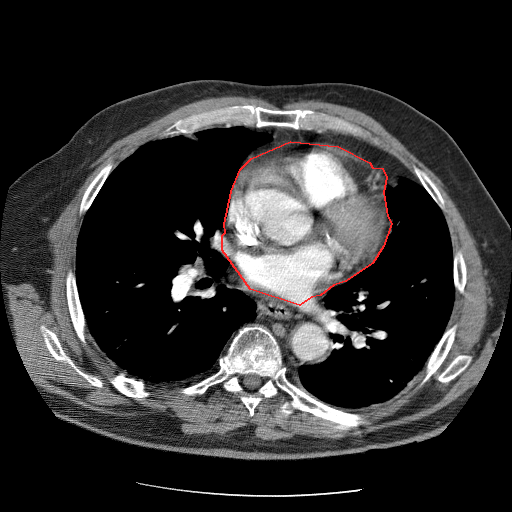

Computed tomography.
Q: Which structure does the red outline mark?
A: red: pericardium.
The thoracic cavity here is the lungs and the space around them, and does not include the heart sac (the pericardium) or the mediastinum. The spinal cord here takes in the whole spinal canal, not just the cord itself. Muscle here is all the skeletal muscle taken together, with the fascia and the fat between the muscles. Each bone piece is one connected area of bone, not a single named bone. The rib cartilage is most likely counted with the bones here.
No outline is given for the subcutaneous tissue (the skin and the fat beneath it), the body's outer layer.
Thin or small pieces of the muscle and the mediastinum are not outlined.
The pericardium is outlined by [[290,141],[338,146],[369,162],[372,167],[382,168],[386,177],[383,192],[387,216],[391,223],[383,246],[372,263],[345,281],[333,285],[320,295],[311,297],[299,305],[250,289],[222,250],[222,235],[225,232],[224,224],[231,191],[240,169],[251,158]]. The spinal cord is outlined by [[247,374],[256,374],[257,375],[258,375],[261,378],[261,384],[260,385],[260,386],[259,386],[257,388],[256,388],[255,389],[248,389],[247,388],[246,388],[243,385],[243,384],[242,383],[242,379],[243,378],[243,376],[244,375],[246,375]]. The mediastinum appears in 2 outlined pieces: piece 1: [[229,259],[250,290],[278,298],[294,306],[299,306],[328,290],[323,297],[322,315],[327,326],[329,352],[323,361],[313,365],[300,365],[296,375],[288,371],[283,364],[280,346],[266,327],[259,324],[244,325],[256,317],[256,303],[243,291],[224,281]]; piece 2: [[244,126],[330,130],[367,140],[397,158],[415,175],[419,183],[400,177],[396,185],[388,184],[385,189],[387,177],[382,167],[374,167],[369,161],[338,145],[308,143],[301,140],[279,143],[251,157],[240,168],[251,151],[272,140],[269,133],[258,132]]. The thoracic cavity appears in 2 outlined pieces: piece 1: [[238,125],[271,136],[242,160],[220,230],[221,250],[228,259],[222,279],[253,300],[255,317],[233,335],[217,360],[216,371],[186,386],[181,381],[146,384],[127,376],[87,328],[75,274],[84,215],[112,170],[143,144],[189,136],[206,128]]; piece 2: [[400,178],[420,183],[443,213],[452,248],[453,305],[445,330],[413,380],[379,405],[351,412],[324,402],[294,383],[287,370],[296,376],[300,366],[317,365],[328,357],[330,337],[323,315],[324,297],[377,259],[391,232],[385,190],[388,185],[396,186]]. The bones appear in 10 outlined pieces: piece 1: [[252,325],[266,328],[275,338],[290,381],[324,403],[363,414],[369,423],[340,430],[336,423],[307,411],[297,409],[285,416],[279,410],[280,395],[263,398],[250,416],[239,393],[218,386],[203,394],[181,394],[180,389],[216,372],[219,358],[237,331]] with a hole at [[247,374],[256,374],[257,375],[258,375],[261,378],[261,384],[260,385],[260,386],[259,386],[257,388],[256,388],[255,389],[248,389],[247,388],[246,388],[243,385],[243,384],[242,383],[242,379],[243,378],[243,376],[244,375],[246,375]]; piece 2: [[247,104],[268,109],[309,109],[336,116],[369,132],[372,137],[377,138],[379,145],[372,144],[367,139],[330,129],[232,125],[228,120],[223,124],[214,124],[199,129],[189,135],[178,134],[159,138],[162,132],[179,119],[192,114],[227,106]]; piece 3: [[69,269],[71,269],[74,271],[78,297],[86,323],[86,329],[87,330],[86,331],[91,335],[96,344],[95,344],[92,340],[88,338],[87,339],[86,346],[85,346],[78,337],[73,326],[68,305],[67,304],[66,284],[65,283],[66,275]]; piece 4: [[455,323],[457,324],[457,327],[455,331],[455,337],[451,345],[451,347],[447,353],[445,358],[443,360],[440,366],[428,379],[428,380],[421,386],[418,386],[419,383],[425,374],[425,366],[428,360],[428,358],[434,350],[436,345],[442,337],[446,329]]; piece 5: [[41,325],[44,325],[57,336],[57,338],[64,352],[81,371],[87,374],[95,376],[102,381],[102,386],[101,387],[94,386],[90,384],[84,377],[80,375],[67,362],[62,360],[57,360],[53,357],[47,348],[47,346],[44,341],[44,338],[40,329]]; piece 6: [[119,372],[123,372],[127,377],[129,377],[130,378],[135,378],[137,380],[142,380],[146,385],[147,389],[150,392],[150,395],[149,396],[147,396],[143,398],[133,398],[132,397],[127,396],[119,392],[110,383],[108,379],[108,377],[112,376]]; piece 7: [[109,160],[111,160],[112,161],[113,168],[105,179],[104,182],[99,189],[97,194],[95,196],[93,201],[91,203],[88,209],[84,214],[80,215],[79,214],[79,207],[80,206],[80,203],[85,190],[94,177],[98,173],[100,169],[104,165],[105,165]]; piece 8: [[459,355],[470,355],[472,357],[472,359],[470,363],[467,366],[467,367],[464,370],[463,370],[455,378],[454,378],[449,382],[447,383],[443,383],[439,381],[437,379],[438,376],[447,367],[447,366],[452,361],[452,360],[455,357]]; piece 9: [[456,249],[460,249],[461,250],[462,252],[462,254],[463,255],[463,257],[464,258],[464,261],[466,265],[466,282],[464,286],[464,290],[463,291],[463,293],[460,293],[456,291],[455,290],[455,287],[454,286],[454,280],[453,279],[453,252]]; piece 10: [[413,165],[415,165],[417,167],[424,171],[436,185],[440,192],[441,196],[444,200],[444,205],[445,206],[445,210],[444,211],[443,211],[435,202],[435,201],[432,198],[432,197],[429,194],[426,189],[422,185],[416,175],[413,172],[413,168],[412,167]]. The torso is outlined by [[197,79],[262,85],[345,82],[375,88],[437,122],[459,146],[508,222],[511,273],[504,331],[488,380],[474,388],[439,434],[392,448],[309,459],[244,460],[178,453],[124,443],[64,421],[36,386],[24,380],[0,272],[0,238],[10,185],[106,106]]. The muscle is outlined by [[223,96],[256,97],[263,99],[278,108],[282,108],[286,104],[302,100],[320,100],[357,109],[379,122],[387,131],[397,138],[410,152],[440,178],[447,193],[454,202],[466,226],[472,234],[481,257],[483,267],[487,270],[485,278],[491,289],[490,296],[492,305],[488,309],[487,323],[482,335],[481,342],[484,342],[491,333],[496,333],[499,328],[504,329],[487,382],[480,386],[472,386],[457,399],[427,416],[414,420],[410,423],[371,431],[361,436],[347,436],[330,439],[314,438],[306,435],[295,435],[290,438],[261,440],[252,436],[254,433],[254,428],[252,426],[238,427],[224,434],[186,434],[180,429],[180,420],[178,418],[168,416],[162,412],[151,412],[145,415],[133,416],[118,416],[100,413],[95,410],[83,407],[58,394],[48,392],[37,384],[33,384],[24,380],[15,344],[16,334],[5,285],[17,285],[28,282],[43,292],[48,289],[49,276],[45,270],[52,265],[52,254],[48,247],[49,242],[47,238],[50,228],[91,171],[91,165],[93,162],[108,147],[115,141],[183,105],[205,98]], around holes outlined by [[247,104],[268,109],[309,109],[355,124],[377,138],[379,147],[412,173],[413,165],[424,171],[444,200],[442,212],[452,251],[460,249],[466,265],[464,290],[454,292],[446,325],[448,328],[457,324],[454,340],[440,366],[421,386],[424,368],[395,396],[379,405],[358,409],[366,416],[367,424],[340,430],[336,423],[307,411],[297,409],[285,416],[279,410],[280,395],[263,398],[250,416],[239,393],[216,386],[203,394],[184,395],[179,392],[184,387],[181,381],[147,383],[150,395],[133,398],[119,392],[108,379],[123,371],[92,340],[88,338],[85,346],[73,326],[66,275],[69,269],[75,270],[84,217],[79,214],[80,203],[100,169],[109,160],[115,168],[179,119]] and by [[41,325],[44,325],[57,336],[57,338],[64,352],[81,371],[87,374],[95,376],[102,381],[102,386],[101,387],[94,386],[90,384],[84,377],[80,375],[67,362],[62,360],[57,360],[53,357],[47,348],[47,346],[44,341],[44,338],[40,329]] and by [[459,355],[470,355],[472,357],[472,359],[470,363],[467,366],[467,367],[464,370],[463,370],[455,378],[454,378],[449,382],[447,383],[443,383],[439,381],[437,379],[438,376],[447,367],[447,366],[452,361],[452,360],[455,357]].